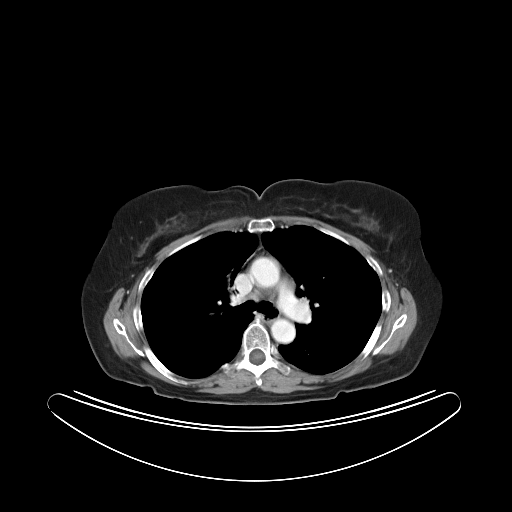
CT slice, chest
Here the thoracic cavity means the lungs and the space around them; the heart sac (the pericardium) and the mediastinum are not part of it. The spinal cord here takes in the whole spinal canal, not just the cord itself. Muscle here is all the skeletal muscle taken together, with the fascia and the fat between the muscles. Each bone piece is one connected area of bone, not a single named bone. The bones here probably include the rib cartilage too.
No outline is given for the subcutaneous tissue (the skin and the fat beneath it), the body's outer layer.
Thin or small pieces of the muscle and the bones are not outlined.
The mediastinum is outlined by (254, 233) (262, 233) (262, 245) (281, 262) (293, 277) (296, 284) (296, 313) (294, 318) (295, 337) (292, 342) (280, 344) (277, 347) (271, 341) (266, 327) (257, 319) (253, 319) (254, 316) (251, 312) (237, 303) (237, 298) (233, 292) (234, 280) (237, 274) (259, 243). The muscle is outlined by (244, 215) (253, 217) (245, 229) (222, 230) (206, 236) (198, 234) (171, 249) (156, 268) (151, 266) (144, 272) (137, 287) (141, 293) (140, 305) (133, 306) (132, 319) (136, 330) (144, 332) (148, 345) (138, 348) (124, 324) (116, 317) (112, 319) (114, 329) (159, 373) (186, 386) (197, 381) (185, 378) (204, 378) (219, 369) (226, 374) (232, 369) (244, 369) (252, 373) (259, 387) (266, 370) (274, 368) (288, 375) (291, 364) (305, 372) (323, 375) (354, 359) (364, 359) (369, 354) (375, 356) (405, 324) (408, 316) (403, 312) (394, 320) (387, 337) (377, 345) (382, 329) (381, 312) (388, 312) (391, 305) (389, 290) (381, 286) (379, 277) (383, 271) (377, 260) (370, 254) (364, 257) (345, 237) (331, 229) (305, 224) (276, 226) (267, 216) (270, 215) (314, 218) (368, 244) (374, 256) (410, 291) (416, 303) (417, 322) (403, 348) (386, 360) (376, 361) (366, 370) (335, 383) (288, 393) (259, 388) (242, 393) (199, 392) (165, 382) (121, 358) (113, 350) (103, 326) (104, 313) (115, 291) (120, 287) (130, 289) (144, 268) (154, 261) (155, 254) (172, 241) (218, 220). The bones appear in 10 outlined pieces: piece 1: (253, 320) (257, 320) (265, 327) (270, 341) (277, 348) (283, 361) (291, 366) (288, 374) (284, 374) (274, 367) (266, 369) (260, 376) (261, 384) (259, 386) (253, 373) (247, 369) (232, 368) (228, 373) (220, 369) (224, 363) (231, 363) (236, 359) (241, 347) (243, 333); inner edge: (257, 349) (258, 350) (260, 350) (264, 354) (264, 359) (263, 360) (263, 361) (261, 363) (259, 363) (258, 364) (256, 364) (255, 363) (253, 363) (250, 360) (250, 353) (252, 351) (253, 351) (254, 350) (256, 350); piece 2: (114, 318) (118, 319) (123, 324) (129, 339) (138, 349) (142, 350) (144, 346) (149, 346) (155, 356) (169, 370) (180, 378) (184, 378) (189, 381) (196, 381) (185, 385) (174, 382) (159, 372) (146, 356) (141, 356) (138, 354) (128, 343) (125, 337) (115, 329) (113, 324); piece 3: (403, 313) (405, 313) (407, 316) (407, 318) (404, 324) (401, 327) (397, 328) (394, 331) (390, 339) (378, 353) (375, 355) (369, 353) (364, 358) (361, 357) (356, 358) (368, 341) (378, 321) (381, 323) (380, 333) (376, 341) (376, 345) (378, 346) (388, 337) (395, 320); piece 4: (264, 217) (269, 217) (270, 218) (271, 218) (272, 219) (272, 220) (274, 222) (274, 223) (275, 224) (275, 227) (271, 231) (264, 231) (263, 232) (249, 232) (246, 229) (246, 227) (247, 226) (247, 224) (248, 223) (248, 222) (251, 219) (252, 219) (253, 218) (263, 218); piece 5: (136, 305) (139, 305) (140, 306) (140, 311) (141, 312) (141, 319) (142, 320) (142, 324) (143, 325) (143, 330) (140, 330) (139, 331) (138, 330) (137, 330) (137, 329) (135, 326) (135, 323) (134, 322) (134, 320) (133, 319) (133, 308) (134, 307) (134, 306) (135, 306); piece 6: (151, 267) (154, 267) (155, 268) (155, 270) (154, 271) (152, 276) (150, 278) (150, 279) (148, 281) (148, 282) (144, 287) (142, 292) (139, 292) (138, 291) (138, 287) (139, 286) (140, 281) (141, 280) (141, 279) (143, 277) (145, 272) (149, 268) (150, 268); piece 7: (382, 289) (387, 289) (388, 290) (388, 291) (389, 292) (389, 293) (390, 294) (390, 305) (389, 306) (389, 309) (388, 310) (388, 311) (387, 311) (386, 312) (385, 311) (383, 311) (382, 310); piece 8: (198, 235) (203, 235) (204, 236) (204, 237) (203, 237) (202, 238) (201, 238) (200, 239) (199, 239) (198, 240) (181, 248) (179, 250) (178, 250) (177, 251) (174, 252) (172, 254) (167, 256) (168, 253) (171, 250) (172, 250) (177, 246) (180, 245) (182, 243) (183, 243); piece 9: (316, 226) (320, 226) (321, 227) (323, 227) (324, 228) (326, 228) (329, 230) (331, 230) (333, 231) (335, 233) (345, 238) (350, 243) (350, 245) (349, 244) (347, 244) (345, 243) (343, 241) (331, 235) (329, 235) (317, 229) (315, 227); piece 10: (366, 255) (370, 255) (371, 256) (372, 256) (376, 260) (376, 261) (378, 263) (378, 264) (379, 265) (379, 266) (382, 271) (382, 275) (381, 276) (379, 276) (378, 275) (378, 274) (372, 268) (372, 267) (368, 263) (368, 262) (366, 260) (366, 259) (365, 258) (365, 256). The thoracic cavity appears in 2 outlined pieces: piece 1: (240, 230) (253, 233) (258, 243) (236, 274) (232, 292) (236, 303) (250, 312) (253, 318) (244, 329) (239, 350) (231, 362) (224, 362) (217, 370) (204, 377) (190, 378) (179, 375) (169, 369) (156, 356) (148, 343) (141, 311) (142, 293) (156, 269) (167, 257) (214, 233); piece 2: (293, 225) (310, 226) (351, 246) (365, 259) (377, 274) (380, 282) (381, 311) (364, 346) (356, 357) (347, 364) (323, 374) (305, 371) (286, 361) (278, 349) (280, 345) (292, 343) (296, 337) (297, 284) (282, 262) (263, 245) (262, 234) (264, 232) (271, 232) (276, 227). The spinal cord is outlined by (257, 349) (258, 350) (260, 350) (264, 354) (264, 359) (263, 360) (263, 361) (261, 363) (259, 363) (258, 364) (256, 364) (255, 363) (253, 363) (250, 360) (250, 353) (252, 351) (253, 351) (254, 350) (256, 350). The torso is outlined by (288, 178) (371, 181) (394, 189) (413, 204) (421, 222) (424, 253) (443, 288) (441, 314) (417, 367) (377, 387) (342, 392) (328, 400) (278, 405) (184, 401) (108, 376) (88, 343) (80, 297) (118, 208) (141, 193) (164, 186) (221, 189) (244, 185) (260, 194) (268, 185).